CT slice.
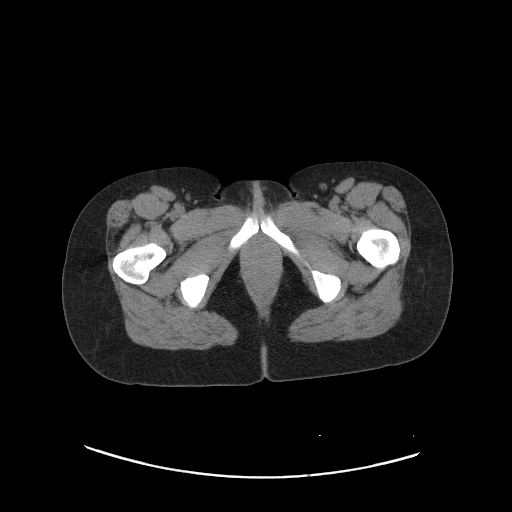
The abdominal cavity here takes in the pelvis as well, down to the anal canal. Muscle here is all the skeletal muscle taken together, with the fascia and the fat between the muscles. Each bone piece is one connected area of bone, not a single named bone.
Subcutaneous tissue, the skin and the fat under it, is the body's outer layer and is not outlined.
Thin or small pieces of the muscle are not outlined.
Outlines (x, y in pixels):
torso: 368 159; 393 163; 416 175; 431 190; 446 219; 453 252; 450 305; 438 338; 420 357; 318 378; 163 387; 109 380; 77 352; 61 302; 66 245; 81 209; 110 182; 148 169; 192 166; 213 173; 223 184; 261 178; 285 183; 309 165
bones 1: 149 242; 153 242; 161 246; 166 251; 166 256; 158 265; 150 271; 147 280; 144 283; 137 285; 136 284; 129 283; 119 277; 114 271; 112 266; 112 260; 113 259; 113 257; 117 253; 124 250; 128 247; 139 246; 140 245; 146 244
bones 2: 373 227; 377 227; 378 228; 386 229; 391 231; 396 236; 400 246; 400 257; 397 262; 394 264; 387 266; 381 271; 380 271; 377 268; 374 267; 370 263; 365 260; 356 250; 356 242; 358 240; 362 232; 367 229; 369 229
bones 3: 249 215; 254 215; 259 219; 265 215; 269 215; 272 218; 274 223; 290 237; 294 245; 299 251; 300 257; 296 256; 283 248; 273 239; 263 233; 260 229; 239 248; 230 251; 228 249; 228 245; 232 236; 240 228; 246 217
bones 4: 199 273; 205 273; 207 274; 209 276; 209 281; 208 282; 208 284; 206 288; 205 294; 201 302; 196 307; 192 308; 183 303; 183 298; 182 297; 182 295; 180 291; 180 288; 179 287; 180 286; 180 282; 183 279; 188 276; 193 276
bones 5: 304 261; 306 261; 309 264; 310 267; 313 269; 315 269; 325 273; 334 274; 340 278; 340 280; 341 281; 341 288; 337 296; 332 301; 330 302; 323 302; 318 297; 316 292; 316 288; 314 284; 314 281; 311 275; 310 270; 304 264
muscle: 349 176; 383 179; 398 188; 406 204; 411 250; 404 277; 403 309; 399 320; 386 332; 354 340; 291 341; 286 336; 288 325; 316 304; 297 267; 290 259; 285 261; 277 294; 268 313; 262 315; 247 293; 234 258; 209 298; 210 307; 238 329; 234 344; 168 350; 140 345; 129 338; 105 250; 107 210; 124 191; 156 184; 169 188; 192 208; 229 204; 264 210; 292 200; 325 201; 334 186 with holes at 249 215; 259 219; 269 215; 290 237; 300 253; 300 257; 296 256; 260 229; 247 240; 248 242; 257 236; 264 236; 275 245; 281 256; 281 267; 275 289; 265 303; 254 296; 242 267; 242 252; 246 243; 232 251; 228 249; 232 236 and at 149 242; 153 242; 161 246; 166 251; 166 256; 158 265; 150 271; 147 280; 144 283; 137 285; 136 284; 129 283; 119 277; 114 271; 112 266; 112 260; 113 259; 113 257; 117 253; 124 250; 128 247; 139 246; 140 245; 146 244 and at 373 227; 377 227; 378 228; 386 229; 391 231; 396 236; 400 246; 400 257; 397 262; 394 264; 387 266; 381 271; 380 271; 377 268; 374 267; 370 263; 365 260; 356 250; 356 242; 358 240; 362 232; 367 229; 369 229 and at 199 273; 205 273; 207 274; 209 276; 209 281; 208 282; 208 284; 206 288; 205 294; 201 302; 196 307; 192 308; 183 303; 183 298; 182 297; 182 295; 180 291; 180 288; 179 287; 180 286; 180 282; 183 279; 188 276; 193 276 and at 304 261; 306 261; 309 264; 310 267; 313 269; 315 269; 325 273; 334 274; 340 278; 340 280; 341 281; 341 288; 337 296; 332 301; 330 302; 323 302; 318 297; 316 292; 316 288; 314 284; 314 281; 311 275; 310 270; 304 264
abdominal cavity: 257 236; 264 236; 269 239; 278 249; 281 256; 281 267; 277 276; 277 279; 275 284; 275 289; 273 290; 273 293; 271 294; 271 296; 265 303; 262 303; 256 299; 254 296; 249 287; 244 270; 242 267; 242 252; 243 249; 247 242